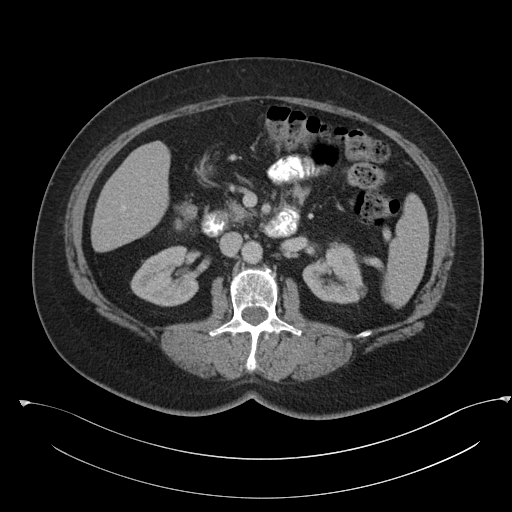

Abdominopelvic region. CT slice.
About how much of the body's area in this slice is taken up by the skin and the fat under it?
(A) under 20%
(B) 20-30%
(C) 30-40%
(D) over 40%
(C) 30-40%
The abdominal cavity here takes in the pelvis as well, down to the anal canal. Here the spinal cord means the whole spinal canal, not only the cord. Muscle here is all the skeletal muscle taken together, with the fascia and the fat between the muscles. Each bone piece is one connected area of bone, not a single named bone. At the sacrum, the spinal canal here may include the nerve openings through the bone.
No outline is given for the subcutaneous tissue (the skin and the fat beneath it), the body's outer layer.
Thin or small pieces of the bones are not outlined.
{"spinal_cord":[[[248,307],[261,307],[262,308],[263,308],[266,311],[266,313],[267,314],[267,316],[266,317],[266,318],[262,321],[261,321],[259,323],[258,323],[255,325],[249,323],[247,321],[246,321],[242,317],[242,312],[243,311],[243,310],[245,308],[247,308]]],"abdominal_cavity":[[[257,99],[365,122],[417,165],[437,217],[431,271],[405,317],[355,334],[310,320],[291,277],[283,279],[277,315],[278,282],[259,267],[231,278],[232,308],[224,278],[215,277],[211,312],[193,321],[152,325],[102,293],[82,236],[106,165],[155,125]]],"bones":[{"outer":[[259,268],[277,282],[276,315],[302,332],[296,335],[281,330],[277,334],[268,333],[267,338],[264,332],[261,333],[255,351],[256,367],[250,371],[245,365],[251,349],[249,333],[233,335],[225,331],[212,336],[209,331],[233,316],[232,278],[242,270]],"hole":[[248,307],[261,307],[262,308],[263,308],[266,311],[266,313],[267,314],[267,316],[266,317],[266,318],[262,321],[261,321],[259,323],[258,323],[255,325],[249,323],[247,321],[246,321],[242,317],[242,312],[243,311],[243,310],[245,308],[247,308]]}],"muscle":[{"outer":[[268,94],[278,95],[279,96],[292,96],[293,97],[308,98],[358,112],[397,131],[405,138],[414,143],[421,149],[435,165],[438,171],[441,174],[445,185],[451,196],[451,200],[456,220],[455,246],[454,247],[453,261],[448,272],[448,277],[445,286],[445,290],[436,308],[430,314],[421,330],[404,341],[380,347],[357,357],[347,364],[326,375],[304,381],[300,381],[299,380],[295,380],[294,381],[278,381],[270,379],[257,372],[247,372],[245,374],[234,379],[229,379],[223,377],[220,378],[205,378],[203,377],[202,378],[180,368],[159,347],[152,344],[147,340],[145,340],[140,336],[136,335],[120,325],[108,320],[97,312],[84,300],[72,283],[70,275],[68,272],[68,267],[66,261],[64,233],[63,232],[64,231],[64,222],[65,221],[65,214],[66,213],[67,204],[71,192],[80,178],[81,174],[88,164],[95,157],[97,153],[118,135],[136,124],[148,118],[153,117],[161,113],[171,111],[177,107],[186,104],[191,104],[204,100],[212,100],[213,99],[228,98],[236,96],[267,95]],"hole":[[257,99],[373,126],[417,165],[437,217],[431,271],[405,317],[356,338],[306,318],[286,277],[277,316],[302,332],[261,333],[250,371],[249,333],[209,334],[233,316],[221,275],[211,282],[207,317],[152,325],[102,293],[82,236],[96,180],[132,139]]}],"torso":[[[246,56],[310,60],[377,81],[429,115],[460,154],[481,211],[483,293],[473,338],[440,381],[383,406],[334,419],[291,417],[254,399],[210,415],[183,416],[98,386],[66,363],[50,343],[33,298],[32,247],[45,189],[71,140],[107,103],[151,77]]]}